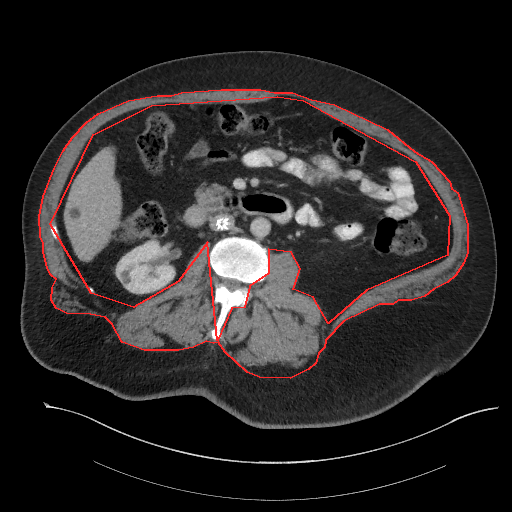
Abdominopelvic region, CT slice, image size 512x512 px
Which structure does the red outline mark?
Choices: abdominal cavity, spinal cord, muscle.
red: muscle.
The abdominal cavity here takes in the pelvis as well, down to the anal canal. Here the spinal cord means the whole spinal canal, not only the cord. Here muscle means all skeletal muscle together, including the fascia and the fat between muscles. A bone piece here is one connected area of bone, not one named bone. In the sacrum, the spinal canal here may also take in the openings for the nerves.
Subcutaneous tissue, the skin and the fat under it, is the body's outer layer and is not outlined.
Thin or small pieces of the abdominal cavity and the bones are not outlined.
Outlines:
muscle: 221,89 260,89 274,92 292,92 311,99 334,104 387,129 414,151 431,161 449,181 451,188 457,192 467,224 467,252 463,263 455,275 447,282 433,289 424,296 411,300 398,300 392,304 379,304 343,321 325,340 324,347 318,353 315,363 308,369 290,378 259,377 247,372 225,352 218,342 213,343 206,341 193,347 178,350 144,350 122,342 112,324 105,317 90,314 66,313 56,308 51,300 52,287 56,279 51,275 47,268 43,251 43,243 40,236 39,216 43,196 54,168 63,150 72,137 86,122 98,113 128,100 157,95 171,95 181,92, around a hole outlined by 277,96 303,100 415,161 449,215 447,255 366,290 328,323 313,297 293,289 300,268 291,252 268,249 268,273 249,286 244,307 231,308 217,340 207,242 178,281 133,307 91,293 50,224 93,134 151,105
torso: 237,50 304,55 352,69 393,88 447,128 482,183 497,253 495,298 487,326 449,371 369,418 332,427 261,429 198,395 122,399 73,375 45,368 23,342 22,203 29,175 47,142 96,94 140,69 180,57
bones: 231,236 246,237 265,247 267,249 269,269 263,281 249,286 250,295 245,306 234,306 231,308 220,328 221,337 215,340 211,337 210,332 215,326 221,306 219,303 214,302 214,284 217,277 208,257 217,241, around a hole outlined by 224,278 228,278 229,279 235,279 236,280 239,281 241,283 242,283 242,285 239,288 237,288 236,289 235,289 234,290 231,291 230,290 229,290 223,284 223,283 222,282 222,279 223,279
spinal cord: 224,278 228,278 229,279 235,279 236,280 239,281 241,283 242,283 242,285 239,288 237,288 236,289 235,289 234,290 231,291 230,290 229,290 223,284 223,283 222,282 222,279 223,279
abdominal cavity: 277,96 303,100 421,167 451,221 452,243 441,261 366,290 330,323 313,297 293,289 300,268 291,252 274,252 246,236 222,237 210,250 203,243 178,281 126,309 73,273 57,226 59,202 101,126 156,104